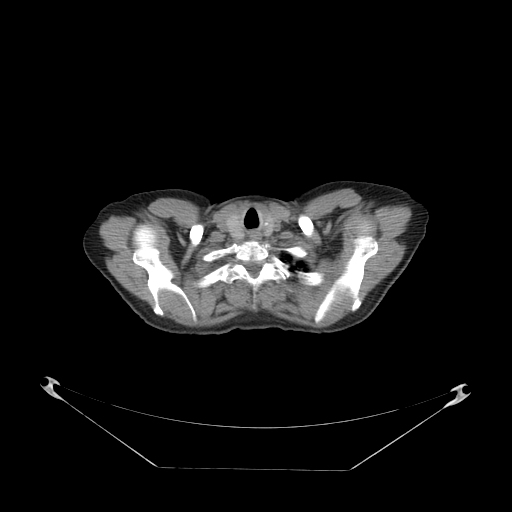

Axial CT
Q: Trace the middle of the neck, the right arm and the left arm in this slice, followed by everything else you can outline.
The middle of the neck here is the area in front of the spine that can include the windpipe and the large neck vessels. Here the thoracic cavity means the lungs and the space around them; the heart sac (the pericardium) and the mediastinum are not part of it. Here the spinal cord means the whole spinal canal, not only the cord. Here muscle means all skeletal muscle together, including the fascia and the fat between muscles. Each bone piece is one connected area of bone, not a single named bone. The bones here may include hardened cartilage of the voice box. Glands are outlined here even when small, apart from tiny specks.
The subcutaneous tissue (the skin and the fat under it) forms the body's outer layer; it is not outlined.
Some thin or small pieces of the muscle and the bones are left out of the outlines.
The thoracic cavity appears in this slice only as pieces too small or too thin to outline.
A: {"middle_of_the_neck":[[[246,206],[255,206],[258,208],[260,208],[265,212],[265,218],[266,220],[263,223],[265,225],[263,234],[266,237],[269,236],[269,237],[265,237],[257,240],[256,239],[246,239],[245,240],[238,239],[238,238],[241,236],[240,215],[238,213]]],"right_arm":[[[131,194],[132,194],[132,200],[130,205],[129,214],[120,235],[118,237],[115,244],[111,248],[109,252],[96,265],[93,266],[87,258],[83,250],[83,246],[82,245],[82,238],[86,228],[96,217],[96,215],[100,208],[109,202],[116,200],[121,200]]],"left_arm":[[[376,183],[390,185],[406,190],[416,199],[422,202],[428,209],[429,212],[429,220],[426,227],[425,236],[410,261],[398,261],[392,258],[390,256],[384,244],[380,231],[380,227],[379,226],[379,222],[376,211],[376,204],[375,203],[375,184]]],"thyroid_glands":[[[232,214],[238,214],[239,215],[239,229],[240,230],[240,236],[237,238],[234,238],[233,237],[232,237],[230,235],[230,234],[229,233],[229,232],[227,229],[227,227],[226,226],[226,220],[227,219],[227,218],[230,215],[231,215]],[[266,214],[271,214],[275,218],[275,222],[274,223],[274,227],[273,228],[273,230],[272,231],[272,232],[270,234],[270,235],[269,235],[268,236],[266,236],[264,234],[264,231],[265,230],[265,229],[266,228],[266,225],[267,224],[267,219],[266,218]]],"muscle":[{"outer":[[342,188],[354,189],[365,200],[374,201],[376,208],[405,203],[411,208],[412,219],[405,233],[407,247],[402,259],[362,303],[359,293],[365,265],[378,252],[379,244],[369,233],[360,233],[352,240],[353,250],[343,271],[313,316],[316,323],[320,322],[344,293],[352,299],[351,312],[328,326],[302,325],[266,311],[245,311],[209,327],[189,327],[164,317],[159,302],[161,290],[179,295],[194,321],[197,314],[183,289],[172,281],[173,271],[160,258],[158,234],[147,223],[139,223],[132,231],[131,259],[147,274],[151,308],[117,281],[103,258],[105,249],[98,233],[101,223],[111,215],[132,215],[160,197],[191,201],[202,212],[238,200],[267,200],[296,208]],"holes":[[[246,206],[260,208],[279,222],[277,231],[257,241],[301,247],[306,255],[291,256],[287,262],[323,273],[320,284],[307,285],[294,276],[278,283],[270,279],[254,296],[243,279],[194,284],[233,256],[212,261],[203,256],[243,241],[228,234],[224,224]],[[302,213],[303,214],[305,214],[307,216],[308,216],[309,217],[309,218],[311,220],[311,221],[313,223],[313,231],[312,232],[312,234],[310,236],[307,236],[306,235],[305,235],[298,224],[298,216],[300,214],[301,214]],[[196,223],[201,223],[203,225],[203,233],[202,234],[202,236],[201,237],[201,239],[200,240],[199,243],[197,245],[193,245],[192,244],[192,243],[191,242],[191,241],[189,238],[189,233],[190,232],[190,230],[191,229],[192,226],[194,224],[195,224]]]}],"spinal_cord":[[[246,262],[255,262],[256,263],[258,263],[259,264],[260,264],[261,265],[260,266],[260,268],[259,269],[259,270],[258,271],[258,272],[257,273],[257,274],[255,276],[253,276],[247,270],[247,269],[246,268],[246,267],[244,265],[244,263],[245,263]]],"torso":[[[335,180],[375,183],[375,211],[383,244],[392,259],[409,262],[375,310],[365,320],[347,329],[320,334],[279,328],[234,329],[217,335],[169,333],[146,324],[94,267],[121,235],[134,193],[183,188],[202,193],[212,202],[244,194],[287,200],[311,187]]],"bones":[{"outer":[[246,240],[273,247],[301,247],[307,253],[302,258],[273,252],[292,271],[323,273],[323,281],[307,285],[294,276],[278,283],[270,279],[258,287],[254,296],[243,279],[231,283],[218,280],[197,287],[196,280],[233,256],[227,254],[207,261],[204,255]],"hole":[[246,262],[255,262],[256,263],[258,263],[259,264],[260,264],[261,265],[260,266],[260,268],[259,269],[259,270],[258,271],[258,272],[257,273],[257,274],[255,276],[253,276],[247,270],[247,269],[246,268],[246,267],[244,265],[244,263],[245,263]]},[[139,224],[147,224],[155,230],[159,258],[172,271],[174,276],[171,281],[187,296],[195,311],[196,320],[193,319],[184,299],[167,289],[161,289],[158,292],[158,302],[163,316],[153,311],[154,300],[147,286],[148,274],[132,259],[134,250],[132,236]],[[360,234],[371,235],[378,244],[377,252],[368,258],[364,265],[364,275],[358,293],[361,305],[355,311],[351,311],[353,299],[345,292],[340,293],[337,301],[331,305],[324,317],[316,322],[314,320],[315,313],[334,281],[344,271],[354,250],[353,240]],[[302,213],[303,214],[305,214],[307,216],[308,216],[309,217],[309,218],[311,220],[311,221],[313,223],[313,231],[312,232],[312,234],[310,236],[307,236],[306,235],[305,235],[298,224],[298,216],[300,214],[301,214]],[[196,223],[201,223],[203,225],[203,233],[202,234],[202,236],[201,237],[201,239],[200,240],[199,243],[197,245],[193,245],[192,244],[192,243],[191,242],[191,241],[189,238],[189,233],[190,232],[190,230],[191,229],[192,226],[194,224],[195,224]]]}